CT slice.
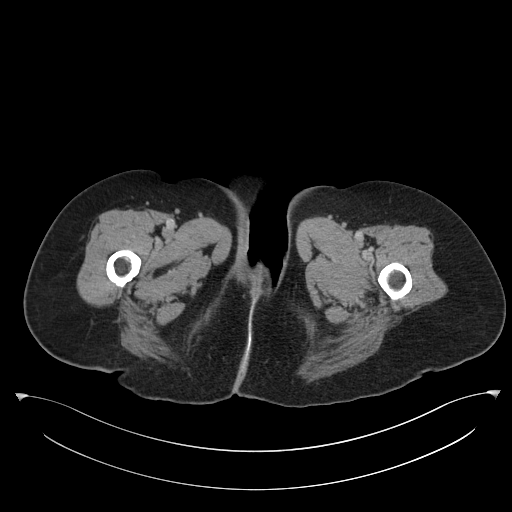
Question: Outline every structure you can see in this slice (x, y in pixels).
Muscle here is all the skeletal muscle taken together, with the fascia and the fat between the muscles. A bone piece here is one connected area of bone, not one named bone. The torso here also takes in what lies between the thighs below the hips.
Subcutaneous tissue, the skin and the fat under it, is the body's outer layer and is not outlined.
Answer: {"left_leg":[[[366,180],[389,180],[423,190],[465,221],[486,251],[503,287],[506,315],[499,337],[479,356],[441,371],[427,372],[380,395],[306,407],[286,407],[238,396],[235,392],[250,350],[254,297],[277,281],[287,246],[286,207],[291,195],[304,186],[347,187]]],"right_leg":[[[131,169],[154,170],[168,182],[201,177],[220,183],[231,191],[249,216],[247,254],[254,270],[253,319],[245,367],[228,399],[194,405],[142,398],[117,382],[118,371],[79,368],[54,358],[38,344],[26,325],[25,283],[37,249],[56,215],[83,189]]],"muscle":[{"outer":[[315,215],[332,215],[355,224],[378,224],[386,221],[427,227],[434,236],[433,268],[446,283],[448,291],[442,298],[411,313],[388,330],[380,348],[364,361],[328,377],[305,383],[294,373],[310,344],[305,323],[312,306],[295,245],[295,232],[301,220]],"hole":[[395,261],[403,264],[409,270],[410,274],[411,275],[411,279],[412,280],[412,285],[411,286],[410,290],[404,296],[396,300],[392,300],[380,286],[377,280],[377,277],[378,276],[379,272],[384,266],[385,266],[387,264],[391,262],[394,262]]},{"outer":[[132,207],[153,208],[182,217],[210,216],[229,227],[233,235],[229,256],[210,272],[195,307],[175,321],[166,334],[179,356],[177,361],[144,361],[123,349],[113,321],[114,314],[107,308],[88,305],[76,289],[76,276],[94,218],[112,208]],"hole":[[120,249],[130,249],[132,251],[136,253],[141,259],[141,265],[140,266],[140,269],[138,273],[131,280],[127,282],[123,287],[120,287],[112,282],[108,278],[106,274],[106,270],[105,269],[106,267],[106,262],[107,261],[108,257],[112,253]]}],"torso":[[[242,171],[257,172],[263,174],[278,174],[282,176],[293,176],[301,179],[304,185],[303,187],[296,190],[291,194],[283,183],[279,181],[274,182],[261,191],[249,215],[245,207],[237,199],[232,191],[223,184],[225,183],[226,177],[233,173]],[[259,258],[260,258],[264,262],[264,263],[265,264],[266,264],[270,268],[270,271],[271,272],[271,276],[272,277],[272,281],[263,290],[261,290],[258,293],[257,293],[255,295],[255,270],[254,269],[254,263]]],"bones":[[[120,249],[130,249],[132,251],[136,253],[141,259],[141,265],[140,266],[140,269],[138,273],[131,280],[127,282],[123,287],[120,287],[112,282],[108,278],[106,274],[106,270],[105,269],[106,267],[106,262],[107,261],[108,257],[112,253]],[[395,261],[403,264],[409,270],[410,274],[411,275],[411,279],[412,280],[412,285],[411,286],[410,290],[404,296],[396,300],[392,300],[380,286],[377,280],[377,277],[378,276],[379,272],[384,266],[385,266],[387,264],[391,262],[394,262]]]}